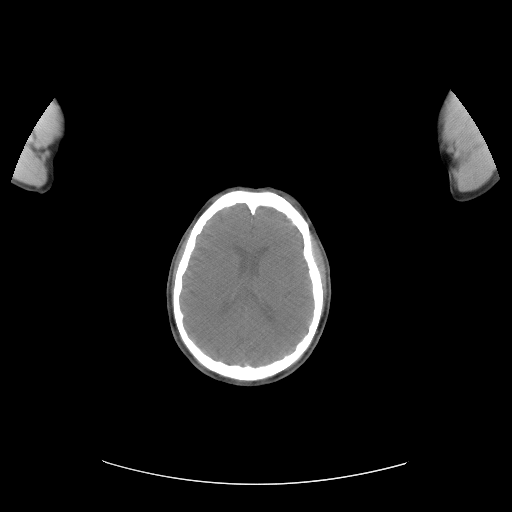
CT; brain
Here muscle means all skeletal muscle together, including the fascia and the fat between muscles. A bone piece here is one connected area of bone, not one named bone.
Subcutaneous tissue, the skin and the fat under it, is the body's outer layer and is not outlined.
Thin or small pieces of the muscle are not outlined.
head: (233, 185) (253, 187) (268, 185) (293, 195) (311, 218) (330, 264) (332, 286) (330, 309) (323, 333) (315, 349) (309, 358) (290, 375) (276, 382) (254, 387) (226, 384) (197, 370) (177, 347) (170, 331) (166, 311) (165, 288) (168, 270) (172, 255) (182, 234) (210, 196)
right arm: (55, 98) (58, 100) (66, 115) (67, 135) (59, 149) (57, 157) (54, 162) (54, 181) (50, 189) (44, 193) (38, 193) (25, 190) (12, 184) (11, 182) (15, 178) (13, 176) (14, 167) (22, 151) (25, 141) (34, 131) (32, 129) (32, 126) (46, 112) (46, 110)
muscle 1: (451, 92) (464, 108) (473, 126) (477, 129) (479, 137) (481, 136) (481, 140) (483, 140) (492, 160) (493, 167) (495, 168) (492, 176) (484, 185) (470, 192) (459, 192) (454, 188) (450, 171) (451, 160) (444, 149) (442, 141) (442, 116) (445, 105) (451, 96)
muscle 2: (54, 99) (58, 108) (61, 126) (57, 138) (50, 147) (51, 153) (47, 160) (48, 167) (47, 180) (43, 185) (39, 187) (19, 182) (14, 179) (15, 178) (13, 176) (13, 172) (16, 162) (22, 151) (24, 143) (34, 131) (32, 129) (34, 123) (46, 112) (46, 110)
muscle 3: (311, 230) (315, 238) (317, 240) (317, 242) (321, 250) (321, 252) (324, 259) (325, 266) (326, 267) (326, 277) (327, 278) (327, 300) (324, 307) (324, 310) (323, 314) (323, 310) (324, 309) (324, 289) (323, 288) (323, 283) (322, 282) (322, 276) (313, 251) (313, 242) (312, 241)
muscle 4: (190, 229) (188, 236) (184, 244) (183, 251) (178, 261) (178, 263) (176, 267) (176, 270) (174, 273) (174, 281) (173, 282) (173, 285) (171, 290) (171, 301) (171, 279) (172, 278) (172, 274) (173, 273) (173, 267) (174, 266) (175, 258) (177, 255) (179, 248) (185, 236)
muscle 5: (282, 195) (284, 195) (285, 196) (286, 196) (287, 197) (288, 197) (295, 204) (295, 205) (298, 208) (298, 209) (290, 201) (289, 201) (284, 196) (283, 196)
muscle 6: (301, 357) (301, 358) (293, 366) (292, 366) (290, 368) (289, 368) (288, 369) (287, 369) (286, 370) (284, 370) (285, 370) (287, 368) (288, 368) (290, 366) (291, 366) (294, 363) (295, 363)
muscle 7: (194, 358) (195, 359) (196, 360) (197, 361) (198, 362) (199, 363) (200, 364) (201, 365) (202, 366) (203, 366) (204, 367) (205, 368) (204, 368) (203, 367) (202, 367) (201, 366) (200, 365) (199, 364) (198, 363) (197, 362) (196, 361) (195, 360) (194, 359)
bones: (237, 189) (273, 191) (284, 197) (302, 214) (309, 226) (312, 251) (321, 276) (323, 289) (322, 314) (316, 332) (307, 349) (295, 362) (282, 371) (260, 380) (229, 378) (211, 371) (202, 365) (183, 343) (176, 327) (172, 307) (175, 273) (194, 223) (203, 211) (220, 195), around a hole outlined by (237, 204) (245, 204) (252, 215) (258, 207) (269, 207) (289, 220) (301, 235) (301, 254) (311, 284) (313, 308) (307, 331) (292, 351) (256, 366) (248, 363) (228, 364) (207, 354) (190, 337) (184, 324) (184, 313) (180, 303) (183, 276) (196, 247) (197, 237) (217, 212)
left arm: (447, 90) (450, 90) (454, 94) (471, 119) (471, 123) (477, 129) (479, 137) (481, 136) (481, 140) (483, 140) (489, 152) (493, 167) (499, 176) (498, 182) (487, 192) (479, 197) (463, 202) (454, 200) (450, 195) (448, 174) (442, 163) (436, 142) (436, 111)
brain: (237, 204) (245, 204) (252, 215) (258, 207) (269, 207) (289, 220) (301, 235) (301, 254) (311, 284) (313, 308) (307, 331) (292, 351) (256, 366) (248, 363) (228, 364) (207, 354) (190, 337) (184, 324) (184, 313) (180, 303) (183, 276) (196, 247) (197, 237) (217, 212)